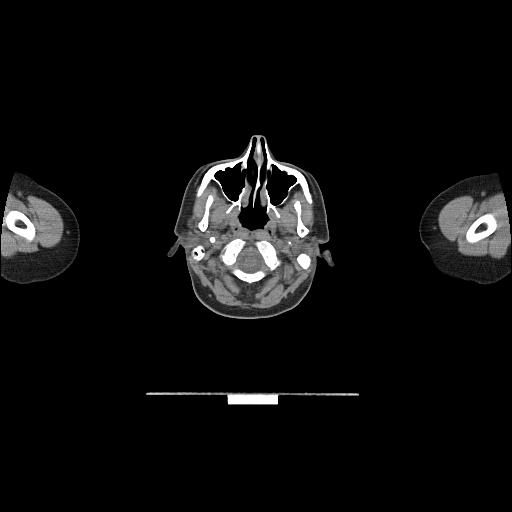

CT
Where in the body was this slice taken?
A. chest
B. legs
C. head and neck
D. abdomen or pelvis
C. head and neck
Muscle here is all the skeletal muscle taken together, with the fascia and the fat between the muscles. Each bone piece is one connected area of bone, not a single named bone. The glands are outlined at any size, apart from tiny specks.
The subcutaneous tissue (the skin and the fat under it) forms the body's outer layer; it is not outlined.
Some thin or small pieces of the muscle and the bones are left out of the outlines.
{"head":[{"outer":[[254,136],[260,136],[263,168],[265,143],[278,161],[316,179],[329,231],[320,247],[329,250],[334,265],[317,259],[311,286],[292,309],[240,319],[203,305],[184,249],[170,257],[167,252],[194,172],[210,161],[235,158],[252,137],[247,161],[255,167]],"holes":[[[257,196],[260,205],[265,207],[265,212],[267,215],[267,220],[262,227],[255,227],[251,229],[241,224],[239,218],[239,215],[242,208],[244,206],[245,207],[248,205],[250,198],[251,198],[251,203],[253,205],[255,204],[255,202],[257,199]],[[273,167],[275,167],[281,172],[284,172],[287,176],[291,176],[293,177],[294,179],[294,181],[287,188],[286,193],[283,198],[279,202],[279,203],[277,204],[272,203],[271,198],[268,191],[268,188],[267,187],[268,182],[270,179],[270,177],[272,173]],[[237,165],[239,165],[240,166],[239,167],[240,168],[239,169],[243,178],[243,185],[241,187],[241,189],[238,194],[237,198],[234,200],[230,198],[227,195],[223,188],[223,186],[221,182],[216,176],[219,172],[224,172],[227,169],[232,169]]]}],"brain":[[[249,246],[257,248],[258,250],[257,252],[260,255],[262,259],[262,261],[263,262],[263,266],[261,268],[255,271],[253,271],[252,272],[248,272],[247,271],[245,271],[241,269],[237,265],[237,260],[238,259],[238,257],[240,253],[245,248]]],"left_arm":[[[494,171],[497,173],[501,185],[508,217],[509,234],[511,236],[510,271],[507,276],[491,284],[480,284],[472,281],[448,277],[440,273],[434,267],[430,260],[428,251],[420,238],[418,226],[421,215],[429,202],[437,194],[458,180],[472,175],[484,174]]],"bones":[{"outer":[[254,136],[260,136],[262,167],[267,161],[265,143],[275,160],[303,174],[311,194],[311,204],[299,185],[296,185],[287,199],[277,206],[279,217],[276,217],[272,210],[267,214],[266,207],[261,205],[257,195],[254,204],[250,197],[247,205],[244,205],[240,211],[235,206],[226,213],[230,202],[212,180],[202,193],[196,196],[205,172],[214,165],[242,156],[252,137],[247,161],[250,166],[256,166],[253,154],[257,137]],"holes":[[[273,167],[275,167],[281,172],[284,172],[287,176],[291,176],[293,177],[294,179],[294,181],[287,188],[286,193],[283,198],[279,202],[279,203],[277,204],[272,203],[271,198],[268,191],[268,188],[267,187],[268,182],[270,179],[270,177],[272,173]],[[237,165],[239,165],[240,166],[239,167],[240,168],[239,169],[243,178],[243,185],[241,187],[241,189],[238,194],[237,198],[234,200],[230,198],[227,195],[223,188],[223,186],[221,182],[216,176],[219,172],[224,172],[227,169],[232,169]]]},{"outer":[[236,238],[241,238],[245,240],[248,244],[252,244],[257,240],[265,240],[270,242],[275,247],[279,257],[282,260],[282,263],[275,269],[269,271],[263,278],[258,281],[250,283],[239,279],[232,273],[230,268],[219,257],[219,254],[222,251],[223,246]],"hole":[[249,246],[257,248],[258,250],[257,252],[260,255],[262,259],[262,261],[263,262],[263,266],[261,268],[255,271],[253,271],[252,272],[248,272],[247,271],[245,271],[241,269],[237,265],[237,260],[238,259],[238,257],[240,253],[245,248]]},[[10,210],[18,210],[19,211],[22,212],[31,221],[31,222],[33,224],[33,225],[35,228],[35,236],[31,241],[29,241],[28,240],[27,240],[22,236],[21,236],[20,235],[15,233],[13,231],[10,230],[4,224],[5,215],[6,214],[6,213]],[[486,213],[492,213],[493,214],[497,222],[497,227],[492,233],[491,233],[486,237],[484,237],[472,243],[468,242],[466,240],[466,238],[465,237],[465,235],[466,234],[466,232],[468,228],[470,226],[470,225],[477,218],[478,218],[483,214],[485,214]],[[295,200],[298,200],[301,206],[301,212],[300,213],[300,217],[301,218],[301,221],[303,223],[303,224],[306,227],[308,228],[309,230],[309,232],[303,237],[300,237],[297,233],[297,213],[294,208],[294,202]],[[210,194],[212,195],[213,197],[213,200],[209,208],[209,214],[208,215],[208,224],[207,225],[207,228],[204,231],[202,231],[199,229],[199,228],[197,226],[197,224],[202,218],[204,214],[204,212],[205,211],[205,204],[206,203],[206,200],[208,196]],[[200,244],[201,245],[202,245],[204,247],[204,252],[205,253],[205,254],[204,255],[204,256],[202,259],[201,259],[200,260],[197,261],[196,260],[195,260],[191,256],[191,254],[190,253],[191,252],[191,250],[195,246],[196,246],[197,245],[199,245]],[[300,253],[306,253],[307,254],[308,254],[309,255],[309,256],[310,257],[310,258],[311,259],[311,261],[310,262],[310,264],[309,265],[309,266],[306,269],[305,269],[304,268],[303,268],[298,263],[298,262],[297,261],[297,256]]],"muscle":[{"outer":[[204,171],[195,196],[214,182],[229,202],[225,213],[235,207],[240,224],[251,230],[262,228],[271,211],[279,218],[278,206],[296,186],[311,205],[306,178],[311,182],[322,233],[318,237],[314,227],[307,235],[313,245],[311,270],[289,299],[270,308],[241,309],[221,304],[204,291],[189,255],[198,262],[205,247],[200,243],[189,252],[187,242],[203,238],[214,197],[207,196],[198,229],[189,216],[182,234],[194,184]],"holes":[[[236,238],[241,238],[245,240],[248,244],[252,244],[257,240],[265,240],[270,242],[275,247],[279,257],[282,260],[282,263],[275,269],[269,271],[263,278],[258,281],[250,283],[239,279],[232,273],[230,268],[219,257],[219,254],[222,251],[223,246]],[[295,200],[298,200],[301,206],[301,212],[300,213],[300,217],[301,218],[301,221],[303,223],[303,224],[306,227],[308,228],[309,230],[309,232],[303,237],[300,237],[297,233],[297,213],[294,208],[294,202]],[[300,253],[306,253],[307,254],[308,254],[309,255],[309,256],[310,257],[310,258],[311,259],[311,261],[310,262],[310,264],[309,265],[309,266],[306,269],[305,269],[304,268],[303,268],[298,263],[298,262],[297,261],[297,256]]]},{"outer":[[496,189],[502,189],[503,192],[508,217],[509,234],[511,236],[511,245],[507,248],[505,255],[498,259],[480,258],[477,256],[469,256],[460,253],[441,235],[437,224],[439,211],[448,201],[455,197],[475,192],[481,192],[484,190],[486,191]],"hole":[[486,213],[492,213],[493,214],[497,222],[497,227],[492,233],[491,233],[486,237],[484,237],[472,243],[468,242],[466,240],[466,238],[465,237],[465,235],[466,234],[466,232],[468,228],[470,226],[470,225],[477,218],[478,218],[483,214],[485,214]]},{"outer":[[10,189],[21,190],[26,194],[31,194],[42,199],[44,199],[57,209],[60,213],[64,222],[63,238],[57,245],[54,247],[48,248],[34,253],[29,253],[11,258],[1,258],[3,217],[4,216],[4,210],[6,207],[6,201],[8,197],[8,192]],"hole":[[10,210],[18,210],[19,211],[22,212],[31,221],[31,222],[33,224],[33,225],[35,228],[35,236],[31,241],[29,241],[28,240],[27,240],[22,236],[21,236],[20,235],[15,233],[13,231],[10,230],[4,224],[5,215],[6,214],[6,213]]}],"right_arm":[[[16,171],[22,172],[30,176],[39,184],[57,194],[72,209],[79,224],[80,231],[79,248],[74,261],[61,274],[47,281],[35,282],[29,284],[18,284],[5,280],[1,275],[2,225],[4,210],[6,207],[6,201],[8,197],[10,184],[14,173]]],"parotid_glands":[[[189,217],[192,217],[192,218],[193,219],[193,224],[194,225],[194,227],[197,230],[198,230],[200,232],[201,232],[203,235],[202,238],[198,242],[197,242],[196,243],[193,241],[187,241],[184,237],[184,231],[185,230],[185,226],[186,225],[186,221]],[[314,228],[317,229],[317,230],[318,231],[318,236],[317,237],[317,238],[318,239],[314,243],[314,244],[312,244],[309,241],[308,241],[308,240],[307,239],[307,237],[308,236],[308,235],[309,235],[311,233],[311,231],[312,230],[312,229],[313,229]]]}